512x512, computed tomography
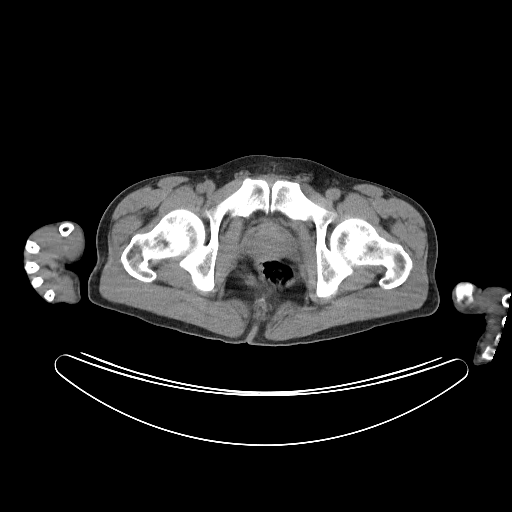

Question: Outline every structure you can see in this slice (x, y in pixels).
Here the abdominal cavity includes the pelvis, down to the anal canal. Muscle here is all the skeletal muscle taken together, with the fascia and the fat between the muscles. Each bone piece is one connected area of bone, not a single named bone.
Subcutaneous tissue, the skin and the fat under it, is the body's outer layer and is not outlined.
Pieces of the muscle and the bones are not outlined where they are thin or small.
Answer: left arm: 463,280 482,287 488,285 501,285 509,290 510,297 506,307 504,326 501,329 498,341 493,349 489,362 481,365 473,364 472,356 475,342 485,326 484,318 481,314 466,315 459,313 454,308 450,297 452,288
right arm: 67,219 77,222 82,227 86,240 84,253 81,259 67,266 69,269 77,273 80,277 81,298 75,304 63,302 59,304 52,304 38,295 28,280 22,261 22,252 25,247 27,237 33,230 47,223
bones 1: 246,177 297,182 337,213 327,236 366,220 409,255 407,278 384,289 383,266 359,265 318,297 315,224 260,209 222,218 213,290 180,257 154,263 150,282 133,277 120,257 134,234 177,208 208,234 203,212
bones 2: 460,283 470,283 473,286 473,290 472,291 472,299 471,300 470,300 468,297 467,297 466,296 465,296 460,301 457,301 457,298 456,297 456,294 455,293 455,289 456,288 456,286 458,284 459,284
bones 3: 64,222 70,222 71,223 72,223 73,224 73,225 74,226 74,228 72,230 72,231 68,235 67,235 66,236 63,236 60,233 60,232 59,231 59,226 62,223 63,223
bones 4: 28,239 30,239 31,240 32,240 33,241 34,241 35,242 36,242 39,245 39,250 38,251 38,252 37,253 30,253 29,252 28,252 27,251 26,251 26,250 25,249 25,244 26,243 26,241
bones 5: 28,260 29,261 34,261 35,262 36,262 38,264 38,265 39,266 39,268 38,269 38,270 36,272 34,272 33,273 28,273 26,271 26,270 25,269 24,266 25,265 26,262
bones 6: 487,346 488,346 489,347 490,347 492,349 493,349 493,352 491,354 491,358 490,359 485,359 484,358 483,358 482,357 482,353 485,350 485,349 486,348 486,347
bones 7: 48,289 52,289 54,291 54,297 53,298 53,300 52,300 51,301 48,301 47,300 46,300 45,299 45,298 44,297 44,294 45,293 45,292
bones 8: 36,276 40,276 42,278 42,279 43,280 43,281 42,282 42,283 38,287 34,287 32,285 32,279 34,277 35,277
torso: 251,154 310,159 341,173 385,185 418,202 431,218 437,236 435,277 439,305 436,311 428,316 377,326 328,341 268,347 231,344 186,334 91,302 87,281 97,258 96,230 104,210 118,193 146,178 211,168
abdominal cavity: 259,210 265,213 277,211 291,220 297,220 296,223 300,261 299,271 293,280 283,286 279,291 268,296 255,291 254,287 239,272 237,263 241,256 240,253 242,250 242,242 240,239 244,218 248,218 254,212
muscle 1: 245,171 247,171 251,174 273,173 274,174 289,175 294,177 297,176 303,183 309,185 313,185 318,188 345,186 353,183 370,184 379,187 390,193 392,193 397,198 404,200 409,203 419,212 423,218 425,223 425,229 427,233 428,250 427,251 427,260 426,261 426,271 428,278 428,291 427,292 427,297 423,304 419,308 409,310 405,312 342,324 330,327 327,329 324,329 318,332 301,337 296,337 284,340 271,340 265,336 263,331 263,326 264,325 263,324 256,324 249,322 242,333 242,335 238,337 230,337 212,332 199,326 186,323 177,319 158,315 152,312 136,308 132,306 129,306 122,303 113,302 102,297 99,292 99,282 103,268 108,257 107,235 110,228 112,214 116,206 124,197 129,193 148,184 150,184 153,181 159,178 164,178 170,176 184,176 185,177 195,176 205,180 212,180 213,181 227,183 241,176; inner edges: 246,177 269,185 279,179 297,182 308,198 337,213 327,236 348,217 366,220 409,255 407,278 384,289 378,283 383,266 359,265 335,294 318,297 315,224 298,219 299,271 265,296 238,270 244,218 228,213 217,234 213,290 198,290 179,265 180,257 154,263 156,277 150,282 133,277 120,257 134,234 151,230 177,208 200,217 208,234 203,212, then 233,271 234,271 234,272 239,276 239,277 252,291 253,293 252,297 253,298 251,301 248,299 243,299 234,295 230,295 232,292 231,291 226,292 226,284 227,283 226,281 227,280 227,278 233,272, then 301,282 303,282 303,283 305,285 305,288 306,289 305,290 305,293 304,294 304,299 300,304 293,301 287,300 286,299 280,299 279,297 280,297 289,289 292,288 294,286 297,286 299,285 301,283
muscle 2: 52,227 58,227 63,237 75,227 79,232 77,250 58,261 61,273 73,281 75,297 71,300 54,300 55,291 52,288 44,293 40,291 43,278 32,276 40,266 27,258 27,253 37,254 40,250 33,236
muscle 3: 492,286 500,286 508,291 508,293 505,293 501,297 501,303 507,309 506,313 501,317 502,328 495,338 494,344 496,346 492,348 487,345 481,353 481,357 487,360 481,360 478,359 480,343 486,339 487,334 491,329 490,321 494,312 486,310 480,305 476,305 474,307 461,307 457,302 460,302 465,297 471,301 473,299 474,289 480,296